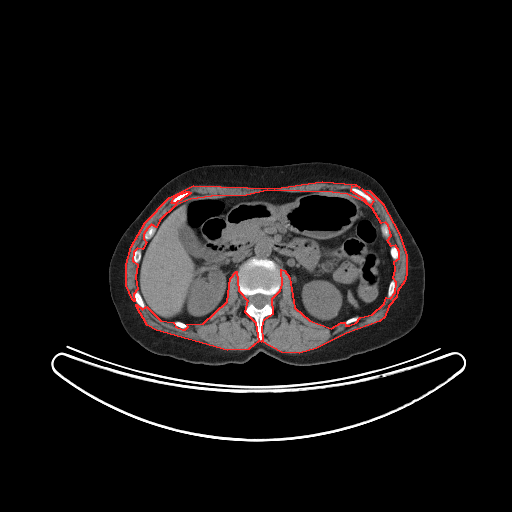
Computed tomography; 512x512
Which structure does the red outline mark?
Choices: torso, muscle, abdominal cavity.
red: muscle.
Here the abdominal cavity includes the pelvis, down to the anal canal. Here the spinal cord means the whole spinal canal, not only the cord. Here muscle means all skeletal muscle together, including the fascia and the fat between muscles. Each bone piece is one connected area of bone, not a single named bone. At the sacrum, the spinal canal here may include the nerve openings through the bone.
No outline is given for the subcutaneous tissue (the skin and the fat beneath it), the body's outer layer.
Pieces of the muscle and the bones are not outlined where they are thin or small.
{"muscle":[{"outer":[[322,181],[355,184],[359,187],[351,186],[350,190],[363,198],[368,204],[371,204],[374,200],[362,189],[369,190],[382,203],[399,234],[406,255],[406,274],[404,281],[397,291],[396,297],[388,306],[384,317],[379,321],[346,333],[316,348],[299,353],[281,352],[261,341],[263,339],[262,327],[264,319],[273,313],[272,298],[280,290],[282,284],[281,269],[284,270],[289,277],[294,307],[309,320],[331,328],[341,322],[344,322],[345,325],[349,325],[356,322],[360,317],[372,314],[384,303],[386,297],[390,298],[395,292],[396,282],[393,278],[395,269],[394,261],[399,258],[399,251],[395,245],[391,246],[387,240],[391,235],[388,225],[385,222],[381,223],[372,208],[365,202],[347,194],[332,192],[267,190],[246,195],[211,196],[190,199],[175,205],[159,220],[156,227],[151,224],[147,228],[143,234],[143,238],[146,242],[142,249],[137,248],[133,252],[132,260],[137,264],[135,277],[137,289],[133,294],[134,301],[132,299],[126,285],[126,264],[131,246],[145,222],[169,197],[193,185],[274,188]],"hole":[[186,191],[188,191],[189,192],[190,192],[190,193],[189,194],[188,194],[186,196],[185,196],[180,200],[177,201],[175,203],[172,203],[171,202],[172,201],[173,198],[175,196],[176,196],[178,194],[179,194],[180,193],[182,193],[183,192],[185,192]]},[[236,271],[238,290],[247,300],[244,311],[255,322],[258,341],[248,349],[227,350],[156,330],[147,325],[136,306],[136,304],[142,309],[146,306],[160,320],[173,322],[175,326],[182,329],[185,329],[188,326],[187,324],[203,323],[227,301],[230,278]]],"torso":[[[300,162],[330,162],[356,168],[384,188],[424,261],[424,306],[417,325],[379,348],[345,360],[309,366],[288,364],[263,352],[240,364],[191,363],[153,353],[132,339],[122,326],[111,299],[108,268],[122,234],[156,192],[178,174],[198,166],[273,166]]],"spinal_cord":[[[256,294],[262,294],[263,295],[266,295],[267,296],[268,296],[270,298],[269,299],[269,302],[266,303],[262,307],[261,307],[260,308],[258,308],[257,307],[256,307],[252,303],[251,303],[249,301],[249,297],[250,296],[252,296],[253,295],[255,295]]],"bones":[{"outer":[[253,257],[273,261],[279,267],[281,274],[281,284],[279,290],[271,298],[273,309],[272,313],[270,315],[267,315],[262,322],[261,327],[262,339],[260,341],[257,339],[256,322],[245,311],[248,300],[240,292],[237,283],[237,274],[241,264]],"hole":[[256,294],[262,294],[263,295],[266,295],[267,296],[268,296],[270,298],[269,299],[269,302],[266,303],[262,307],[261,307],[260,308],[258,308],[257,307],[256,307],[252,303],[251,303],[249,301],[249,297],[250,296],[252,296],[253,295],[255,295]]},[[351,187],[356,187],[357,188],[359,188],[360,189],[361,189],[363,191],[364,191],[367,194],[368,194],[372,198],[373,201],[371,203],[368,203],[366,201],[366,200],[363,197],[362,197],[357,193],[356,193],[355,192],[352,191],[351,190]],[[137,290],[138,290],[138,291],[139,292],[139,293],[140,294],[140,295],[141,296],[141,297],[142,298],[142,299],[145,304],[145,306],[144,307],[144,308],[142,308],[141,307],[140,307],[136,303],[136,302],[134,299],[134,294],[135,293],[135,292]],[[151,225],[153,225],[155,227],[155,231],[153,233],[153,234],[151,236],[151,237],[149,239],[148,239],[147,240],[146,239],[145,239],[144,238],[144,234],[145,233],[145,232],[148,229],[148,228]],[[186,191],[188,191],[189,192],[190,192],[190,193],[189,194],[188,194],[186,196],[185,196],[180,200],[177,201],[175,203],[172,203],[171,202],[172,201],[173,198],[175,196],[176,196],[178,194],[179,194],[180,193],[182,193],[183,192],[185,192]]],"abdominal_cavity":[[[267,191],[347,195],[369,206],[380,222],[394,263],[383,303],[368,315],[355,315],[327,326],[309,319],[295,307],[290,277],[284,269],[271,259],[253,256],[231,274],[226,301],[205,321],[165,321],[152,313],[136,277],[142,250],[160,220],[186,201]]]}